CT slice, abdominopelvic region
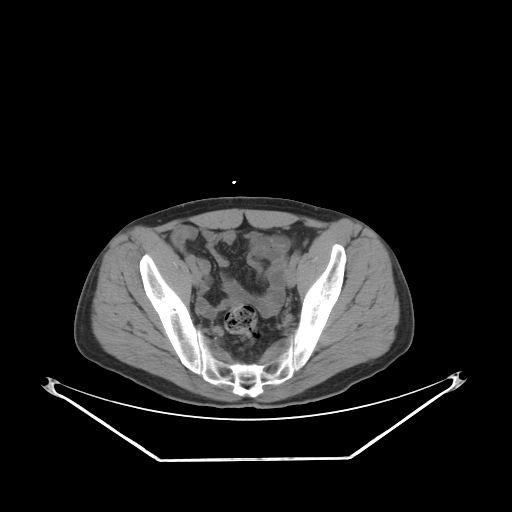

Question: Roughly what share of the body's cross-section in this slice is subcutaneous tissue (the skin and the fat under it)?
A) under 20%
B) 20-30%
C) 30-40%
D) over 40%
Answer: A) under 20%
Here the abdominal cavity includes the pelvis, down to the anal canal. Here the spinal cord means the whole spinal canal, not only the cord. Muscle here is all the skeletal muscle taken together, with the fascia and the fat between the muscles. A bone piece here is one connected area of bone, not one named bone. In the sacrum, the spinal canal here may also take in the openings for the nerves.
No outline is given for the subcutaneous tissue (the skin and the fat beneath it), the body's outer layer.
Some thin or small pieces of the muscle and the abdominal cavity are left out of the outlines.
{"torso":[[[239,195],[288,198],[333,209],[367,223],[381,235],[398,259],[412,298],[414,336],[407,351],[385,369],[352,385],[341,394],[306,404],[272,409],[216,408],[174,401],[86,359],[74,343],[74,315],[87,273],[110,238],[128,222],[143,215],[191,200]]],"spinal_cord":[[[252,383],[253,383],[253,384],[252,385],[251,385],[250,386],[249,387],[248,387],[247,387],[246,387],[245,387],[244,386],[243,386],[242,385],[242,384],[243,384],[244,384],[245,384],[246,384],[247,384],[248,384],[249,384],[250,384],[251,384]]],"bones":[[[335,243],[345,250],[343,283],[312,354],[290,378],[276,385],[265,384],[263,392],[255,397],[235,394],[228,384],[212,384],[181,362],[145,293],[139,270],[144,254],[152,258],[187,307],[216,359],[230,364],[265,364],[288,348],[303,298],[327,266]]],"muscle":[[[229,208],[327,222],[348,217],[372,230],[388,252],[399,300],[399,326],[389,349],[293,396],[256,400],[265,385],[287,381],[313,354],[341,293],[347,255],[335,242],[302,298],[298,260],[318,230],[300,220],[261,228],[244,219],[226,228],[185,221],[164,234],[191,274],[188,306],[148,253],[140,257],[138,270],[180,362],[206,382],[249,397],[212,399],[104,351],[92,331],[91,306],[102,258],[113,240],[136,225]],[[290,334],[291,334],[289,337],[289,344],[287,348],[281,354],[280,354],[277,358],[269,362],[266,362],[265,363],[259,363],[258,362],[260,358],[263,355],[264,352],[265,352],[266,350],[274,342],[280,339],[283,339],[284,338],[286,338]],[[205,336],[206,336],[208,338],[218,344],[222,348],[229,352],[231,354],[232,357],[235,360],[235,361],[234,362],[231,362],[230,363],[229,362],[226,362],[225,361],[223,361],[216,358],[213,355],[209,346],[207,344],[206,340],[205,339],[206,338]]],"abdominal_cavity":[[[244,220],[261,229],[288,226],[300,221],[317,230],[317,235],[297,260],[297,287],[302,299],[297,326],[286,337],[274,341],[257,362],[236,361],[229,351],[195,326],[188,308],[192,274],[164,237],[167,231],[185,222],[202,228],[226,229],[235,228]]]}